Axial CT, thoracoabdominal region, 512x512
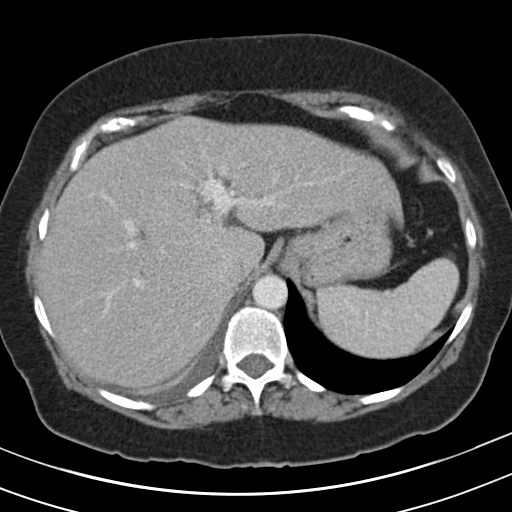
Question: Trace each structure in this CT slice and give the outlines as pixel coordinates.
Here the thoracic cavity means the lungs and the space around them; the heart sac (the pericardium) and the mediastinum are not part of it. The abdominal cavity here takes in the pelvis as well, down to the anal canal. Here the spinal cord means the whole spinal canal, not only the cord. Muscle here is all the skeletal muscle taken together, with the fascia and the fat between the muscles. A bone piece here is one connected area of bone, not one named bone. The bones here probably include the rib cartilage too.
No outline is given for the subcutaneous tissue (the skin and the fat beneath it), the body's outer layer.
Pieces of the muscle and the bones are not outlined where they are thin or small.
Answer: {"abdominal_cavity":[[[242,94],[269,95],[312,113],[378,126],[439,170],[457,202],[467,246],[459,315],[413,355],[361,357],[318,331],[292,280],[274,269],[251,282],[241,307],[178,382],[154,391],[104,388],[66,355],[42,301],[40,260],[50,211],[96,145],[150,119]]],"muscle":[{"outer":[[263,88],[281,88],[285,90],[344,90],[368,95],[388,102],[400,109],[409,117],[456,163],[461,171],[470,198],[479,216],[479,220],[483,228],[483,239],[486,250],[484,274],[479,287],[474,316],[469,330],[467,332],[464,345],[457,360],[437,376],[398,402],[392,403],[385,407],[353,418],[328,423],[306,424],[302,422],[277,417],[256,417],[232,426],[213,428],[210,430],[168,429],[148,427],[116,415],[83,399],[66,389],[35,326],[25,284],[23,254],[26,242],[26,230],[32,212],[38,204],[48,181],[62,160],[72,139],[87,128],[100,116],[107,112],[120,108],[141,104],[151,100],[165,99],[195,92],[201,93],[208,90],[241,90]],"hole":[[242,94],[269,95],[336,118],[349,117],[337,112],[337,106],[367,108],[394,123],[393,132],[434,166],[438,157],[445,157],[454,169],[453,183],[441,177],[457,202],[462,225],[468,217],[475,230],[475,247],[467,247],[461,301],[463,307],[472,302],[473,308],[456,336],[388,399],[363,404],[363,394],[313,391],[286,367],[295,384],[286,388],[268,382],[260,395],[262,413],[254,414],[253,397],[244,384],[223,390],[226,366],[219,364],[200,395],[184,394],[156,403],[151,410],[127,408],[98,392],[102,386],[74,365],[34,312],[33,296],[42,298],[44,241],[38,223],[46,208],[53,209],[72,175],[75,147],[89,128],[119,116],[145,116],[147,121]]},[[119,131],[122,131],[118,134],[103,141],[101,143],[97,145],[96,144],[93,147],[92,147],[91,149],[89,150],[89,151],[87,152],[87,150],[92,140],[97,135],[99,134],[110,134],[111,133],[113,133],[114,132],[118,132]]],"bones":[{"outer":[[243,306],[258,307],[278,317],[295,366],[324,391],[310,390],[286,367],[295,384],[286,388],[278,381],[268,382],[260,395],[259,415],[253,413],[253,397],[244,384],[234,383],[228,391],[223,390],[221,378],[226,366],[219,364],[220,354],[229,320]],"hole":[[250,354],[259,354],[260,355],[263,355],[271,363],[272,365],[271,367],[267,370],[266,370],[261,375],[257,377],[252,377],[250,376],[248,374],[247,374],[242,369],[241,369],[238,365],[239,363],[246,356]]},[[119,116],[124,117],[145,116],[145,119],[136,125],[127,127],[125,129],[110,133],[97,134],[91,140],[86,150],[85,156],[80,162],[77,169],[72,172],[70,171],[69,167],[75,147],[81,141],[82,137],[89,128],[94,124],[105,122],[110,118]],[[342,105],[360,106],[367,108],[374,113],[379,113],[388,120],[394,123],[395,124],[395,129],[393,131],[387,131],[378,125],[374,125],[369,122],[361,121],[357,119],[351,118],[344,113],[339,113],[335,110],[335,108],[337,106],[341,106]],[[98,388],[103,388],[104,389],[106,389],[120,396],[124,399],[137,401],[138,402],[142,402],[150,405],[155,405],[155,408],[151,410],[144,410],[143,409],[132,409],[131,408],[127,408],[126,407],[120,406],[106,399],[102,396],[98,392]],[[35,294],[38,295],[41,299],[41,301],[45,309],[45,312],[49,320],[49,323],[55,335],[55,337],[54,338],[52,337],[43,327],[43,326],[38,320],[34,312],[34,308],[33,307],[33,296]],[[402,385],[403,385],[403,388],[402,390],[396,395],[388,399],[386,399],[379,402],[370,403],[369,404],[363,404],[359,401],[359,398],[364,395],[367,395],[368,394],[372,394],[373,393],[377,393],[378,392],[389,390],[390,389],[392,389]],[[470,301],[472,302],[473,304],[473,308],[467,321],[465,323],[465,324],[463,326],[461,330],[456,335],[456,336],[449,343],[445,344],[445,342],[449,337],[455,325],[455,323],[458,317],[460,315],[460,313],[462,310],[462,308],[468,302]],[[438,157],[445,157],[448,160],[449,160],[449,161],[451,163],[451,165],[453,167],[453,168],[454,169],[454,171],[455,172],[455,181],[453,183],[450,182],[446,178],[446,177],[440,171],[440,170],[437,167],[437,165],[436,164],[436,159]],[[214,373],[215,374],[215,377],[213,379],[209,387],[208,387],[203,392],[202,394],[200,395],[198,395],[197,396],[194,396],[193,397],[189,397],[186,395],[189,392],[189,391],[192,387],[194,387],[197,385],[199,385],[201,384]]],"mediastinum":[[[274,270],[281,272],[287,278],[285,282],[287,287],[287,299],[282,322],[277,315],[267,309],[254,305],[243,305],[242,306],[242,303],[244,302],[244,298],[246,294],[248,293],[248,290],[250,288],[252,282],[261,276],[262,274],[265,274]]],"spinal_cord":[[[250,354],[259,354],[260,355],[263,355],[271,363],[272,365],[271,367],[267,370],[266,370],[261,375],[257,377],[252,377],[250,376],[248,374],[247,374],[242,369],[241,369],[238,365],[239,363],[246,356]]],"torso":[[[280,32],[337,35],[392,52],[441,82],[471,120],[511,208],[511,311],[481,386],[463,411],[438,430],[351,459],[299,467],[220,469],[183,461],[132,461],[51,432],[39,419],[25,381],[0,337],[0,201],[36,119],[72,80],[142,47],[186,38]]],"thoracic_cavity":[[[287,279],[291,280],[295,286],[303,301],[306,315],[317,331],[340,350],[361,358],[394,360],[413,356],[433,344],[454,325],[443,345],[431,360],[405,383],[367,394],[338,392],[328,389],[312,379],[302,372],[295,364],[288,347],[283,325],[288,299]],[[228,320],[223,350],[219,353],[219,361],[216,370],[201,383],[192,386],[186,394],[159,403],[150,404],[142,401],[124,398],[108,389],[115,391],[119,391],[124,393],[127,393],[128,392],[154,392],[175,385],[193,368],[201,356],[201,354],[217,335]]]}